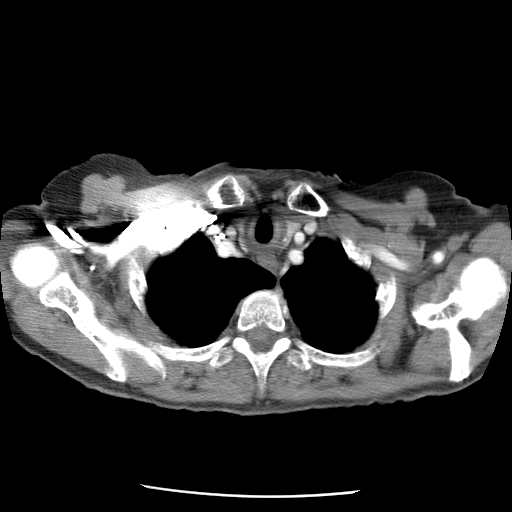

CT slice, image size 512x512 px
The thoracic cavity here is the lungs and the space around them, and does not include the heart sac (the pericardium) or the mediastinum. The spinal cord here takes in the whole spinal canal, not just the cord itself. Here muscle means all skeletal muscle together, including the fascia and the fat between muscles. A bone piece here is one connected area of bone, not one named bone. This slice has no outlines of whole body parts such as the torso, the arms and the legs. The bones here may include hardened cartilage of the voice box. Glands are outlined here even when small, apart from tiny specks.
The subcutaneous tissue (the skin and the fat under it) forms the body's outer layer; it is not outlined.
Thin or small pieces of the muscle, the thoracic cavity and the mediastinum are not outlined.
The thyroid glands appear in 2 outlined pieces: piece 1: [[243,215],[244,217],[244,222],[243,223],[243,236],[242,237],[242,239],[243,240],[243,244],[244,245],[244,249],[245,251],[239,248],[239,246],[238,245],[238,233],[237,232],[236,228],[234,226],[232,222],[232,219],[235,219],[236,218],[240,218]]; piece 2: [[287,220],[289,220],[292,222],[295,222],[297,224],[299,224],[301,225],[300,227],[300,229],[296,232],[295,232],[291,236],[290,238],[290,241],[287,245],[288,243],[288,236],[286,232],[286,221]]. The mediastinum is outlined by [[258,201],[275,202],[275,208],[286,220],[287,246],[292,236],[301,229],[301,223],[313,221],[319,228],[304,261],[290,266],[281,276],[281,289],[272,288],[276,282],[275,276],[251,259],[241,255],[219,255],[202,230],[210,213],[247,207]], around a hole outlined by [[243,215],[244,217],[244,222],[243,223],[243,236],[242,237],[242,239],[243,240],[243,244],[244,245],[244,249],[245,251],[239,248],[239,246],[238,245],[238,233],[237,232],[236,228],[234,226],[232,222],[232,219],[235,219],[236,218],[240,218]]. The bones appear in 8 outlined pieces: piece 1: [[32,242],[53,251],[102,323],[141,342],[209,344],[232,330],[244,297],[275,289],[289,331],[306,343],[381,349],[359,366],[307,370],[284,352],[262,393],[238,352],[216,368],[164,358],[163,379],[124,351],[118,382],[70,316],[13,275],[10,257]]; inner edge: [[262,325],[264,325],[267,328],[274,331],[276,333],[277,338],[274,341],[274,342],[272,344],[271,347],[269,349],[268,349],[265,351],[255,351],[252,348],[250,343],[247,340],[247,339],[246,338],[246,332],[255,327],[257,327],[258,326],[261,326]]; piece 2: [[482,256],[493,259],[504,270],[509,283],[508,295],[478,319],[465,318],[459,322],[458,328],[471,348],[473,369],[462,380],[451,382],[448,380],[451,360],[447,332],[443,328],[430,330],[417,324],[411,310],[416,304],[444,300],[458,282],[462,268]]; piece 3: [[228,174],[233,175],[236,178],[246,193],[246,198],[243,203],[243,205],[241,206],[236,206],[231,208],[218,209],[217,208],[213,208],[209,205],[206,204],[204,199],[204,195],[202,192],[202,190],[204,186],[208,186],[215,180],[219,179]]; piece 4: [[302,182],[305,182],[309,184],[311,187],[325,201],[329,207],[329,210],[325,216],[321,216],[320,217],[318,217],[317,216],[312,216],[311,215],[308,215],[304,213],[301,213],[300,212],[294,211],[289,209],[286,202],[287,196],[292,189],[293,189]]; piece 5: [[132,260],[136,260],[141,264],[145,273],[145,277],[147,283],[147,291],[145,294],[145,305],[148,314],[147,316],[144,315],[138,309],[135,305],[129,293],[129,289],[127,284],[127,278],[128,277],[127,271],[130,266],[130,262],[131,262]]; piece 6: [[391,274],[393,274],[396,278],[396,286],[397,287],[397,290],[396,291],[396,297],[395,298],[395,301],[391,309],[387,313],[387,314],[382,319],[377,320],[377,318],[378,317],[378,304],[375,300],[376,288],[380,282],[384,281],[386,278],[387,278]]; piece 7: [[342,234],[344,234],[345,235],[350,237],[359,247],[360,247],[368,253],[371,254],[371,264],[370,265],[370,267],[368,270],[365,270],[361,267],[359,267],[348,258],[348,257],[341,244],[341,242],[340,241],[340,238],[341,237],[341,235]]; piece 8: [[180,232],[188,232],[189,233],[189,235],[187,237],[187,238],[185,240],[184,240],[183,242],[174,251],[173,251],[171,253],[164,255],[163,256],[158,256],[156,254],[156,252],[155,251],[158,245],[167,237],[171,235],[173,235],[176,233],[179,233]]. The thoracic cavity appears in 2 outlined pieces: piece 1: [[200,230],[212,243],[219,256],[224,258],[229,256],[247,258],[269,271],[274,276],[275,282],[271,288],[257,289],[244,296],[238,302],[228,325],[215,340],[198,346],[182,346],[163,331],[148,313],[146,273],[154,260],[171,254],[193,233]]; piece 2: [[318,233],[338,240],[347,258],[359,268],[367,271],[376,285],[374,300],[377,304],[377,317],[375,325],[368,337],[353,351],[341,353],[330,352],[302,339],[299,330],[293,322],[280,285],[282,276],[290,267],[299,265],[305,261],[306,255],[311,249]]. The muscle appears in 3 outlined pieces: piece 1: [[219,171],[307,177],[382,201],[399,201],[410,187],[419,187],[436,221],[431,232],[436,245],[454,234],[504,222],[511,230],[511,282],[493,258],[477,256],[461,268],[444,299],[416,303],[410,310],[417,325],[446,332],[450,382],[378,399],[268,404],[174,402],[120,383],[129,375],[124,352],[163,380],[164,359],[207,361],[216,369],[238,353],[249,362],[262,394],[270,367],[284,353],[289,364],[307,371],[313,364],[359,367],[381,351],[383,344],[377,342],[355,350],[392,309],[396,276],[391,273],[377,285],[368,271],[371,253],[344,233],[339,240],[323,234],[313,220],[284,218],[275,201],[242,206],[247,193],[230,173],[203,186],[205,204],[221,210],[210,212],[201,230],[167,236],[146,272],[136,259],[126,271],[134,305],[179,345],[141,341],[102,322],[93,300],[41,241],[22,243],[13,251],[8,259],[12,275],[36,292],[42,305],[65,312],[107,366],[104,375],[24,333],[4,303],[0,236],[7,220],[22,220],[40,232],[64,230],[78,217],[80,185],[91,173],[167,181]], around a hole outlined by [[302,182],[305,182],[309,184],[311,187],[325,201],[329,207],[329,210],[325,216],[321,216],[320,217],[318,217],[317,216],[312,216],[311,215],[308,215],[304,213],[301,213],[300,212],[294,211],[289,209],[286,202],[287,196],[292,189],[293,189]]; piece 2: [[506,298],[507,299],[506,300],[506,305],[505,306],[503,320],[501,324],[501,327],[499,330],[499,335],[493,351],[473,371],[474,367],[471,363],[472,348],[470,343],[459,328],[460,322],[465,319],[471,321],[478,320],[486,311],[494,309],[504,301]]; piece 3: [[233,317],[234,317],[234,321],[233,322],[233,327],[231,329],[231,330],[228,333],[226,333],[225,334],[224,334],[223,335],[222,335],[220,337],[219,337],[219,336],[220,335],[220,334],[229,325],[229,324],[230,323],[230,322],[231,321],[231,320]]. The spinal cord is outlined by [[262,325],[264,325],[267,328],[274,331],[276,333],[277,338],[274,341],[274,342],[272,344],[271,347],[269,349],[268,349],[265,351],[255,351],[252,348],[250,343],[247,340],[247,339],[246,338],[246,332],[255,327],[257,327],[258,326],[261,326]].